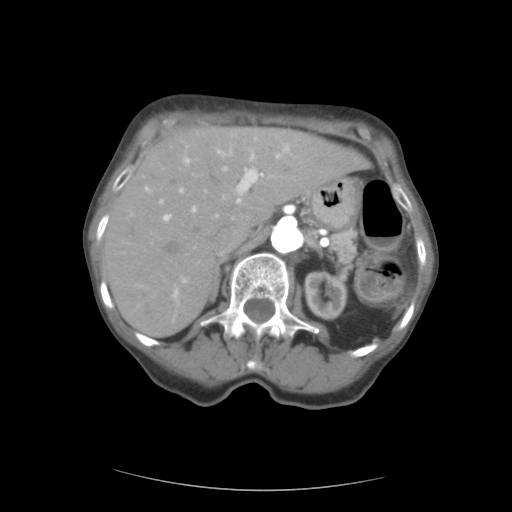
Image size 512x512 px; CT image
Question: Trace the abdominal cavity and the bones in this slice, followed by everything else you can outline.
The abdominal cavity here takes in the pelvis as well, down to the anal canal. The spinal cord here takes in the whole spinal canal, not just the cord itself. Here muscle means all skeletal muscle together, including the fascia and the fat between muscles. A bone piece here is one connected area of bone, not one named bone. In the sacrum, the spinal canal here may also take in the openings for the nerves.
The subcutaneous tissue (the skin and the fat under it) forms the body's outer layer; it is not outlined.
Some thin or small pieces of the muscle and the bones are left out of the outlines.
Answer: {"abdominal_cavity":[[[200,120],[297,126],[360,142],[373,152],[409,219],[419,264],[409,304],[389,335],[354,349],[336,349],[327,328],[305,314],[301,287],[290,278],[285,261],[270,251],[240,259],[224,299],[178,340],[160,341],[122,319],[100,257],[112,202],[145,144]]],"bones":[{"outer":[[260,252],[273,253],[284,261],[291,279],[286,305],[298,318],[318,327],[318,333],[299,329],[291,339],[286,339],[276,338],[265,332],[257,341],[248,329],[237,338],[224,339],[221,324],[213,322],[200,325],[201,320],[228,307],[234,266],[243,258]],"hole":[[253,298],[256,298],[257,299],[262,299],[263,298],[265,298],[266,299],[270,300],[273,303],[273,305],[274,306],[274,312],[273,314],[267,320],[263,321],[262,322],[256,322],[252,319],[251,319],[244,311],[244,305],[245,303],[248,300],[252,299]]},[[395,183],[397,183],[400,185],[400,186],[406,194],[407,197],[409,199],[412,205],[412,210],[410,212],[407,212],[402,207],[402,206],[400,205],[400,204],[396,201],[396,200],[394,198],[393,196],[393,194],[392,193],[392,185]],[[129,165],[132,165],[132,167],[129,173],[127,174],[128,175],[125,181],[123,183],[121,187],[116,192],[114,192],[112,190],[112,185],[115,179],[117,177],[117,176],[127,166]],[[103,279],[104,279],[105,281],[105,283],[107,286],[107,289],[108,290],[109,295],[111,298],[112,303],[114,306],[114,307],[112,309],[110,309],[108,308],[103,303],[102,301],[102,298],[101,297],[101,294],[100,293],[100,284],[101,283],[101,281]],[[411,301],[413,301],[413,302],[414,303],[414,308],[413,309],[413,313],[412,314],[412,316],[409,320],[408,323],[402,329],[398,329],[398,326],[399,325],[399,323],[400,322],[400,321],[401,320],[405,311],[407,309],[408,306],[410,304]],[[135,331],[136,331],[137,332],[139,332],[140,333],[141,333],[150,338],[152,338],[155,340],[157,340],[158,341],[159,341],[160,342],[160,344],[159,345],[152,345],[151,346],[147,346],[146,345],[143,344],[136,337],[136,336],[134,333],[135,332]]],"spinal_cord":[[[253,298],[256,298],[257,299],[262,299],[263,298],[265,298],[266,299],[270,300],[273,303],[273,305],[274,306],[274,312],[273,314],[267,320],[263,321],[262,322],[256,322],[252,319],[251,319],[244,311],[244,305],[245,303],[248,300],[252,299]]],"torso":[[[177,92],[351,105],[381,118],[399,138],[409,173],[434,227],[439,270],[411,336],[356,402],[318,410],[284,405],[275,402],[263,387],[252,382],[236,388],[213,406],[198,406],[156,385],[105,325],[93,297],[82,251],[86,211],[132,117],[153,99]]],"muscle":[{"outer":[[178,107],[184,109],[198,108],[201,110],[207,110],[208,111],[222,111],[228,109],[244,109],[253,112],[260,112],[268,114],[287,114],[288,115],[299,115],[300,116],[315,116],[324,119],[360,119],[382,131],[393,142],[397,152],[399,164],[401,167],[403,175],[406,179],[408,185],[421,209],[424,221],[427,227],[434,255],[432,277],[429,286],[422,300],[419,310],[410,324],[409,328],[407,330],[405,335],[399,343],[390,352],[379,360],[376,361],[360,378],[354,381],[348,386],[343,387],[336,391],[332,392],[315,393],[314,394],[306,394],[305,393],[304,394],[303,393],[284,391],[263,376],[257,373],[249,373],[232,379],[214,387],[205,387],[197,382],[194,382],[183,377],[180,377],[165,370],[143,352],[127,342],[116,331],[110,322],[97,294],[97,290],[95,285],[92,267],[90,263],[90,256],[88,249],[88,241],[87,240],[88,228],[96,210],[98,198],[107,183],[107,181],[109,179],[111,174],[121,160],[123,152],[130,142],[140,124],[153,113],[157,113],[162,110],[173,110]],"holes":[[[200,120],[297,126],[373,152],[409,199],[426,252],[402,329],[353,357],[308,318],[293,279],[286,305],[319,332],[291,339],[201,326],[228,307],[228,289],[183,337],[151,346],[103,303],[96,230],[115,179],[145,144]],[[250,359],[254,359],[258,363],[259,363],[260,364],[261,364],[261,367],[260,368],[256,368],[255,369],[250,369],[249,368],[248,368],[247,367],[247,366],[246,365],[246,364],[247,363],[247,362]]]}]}